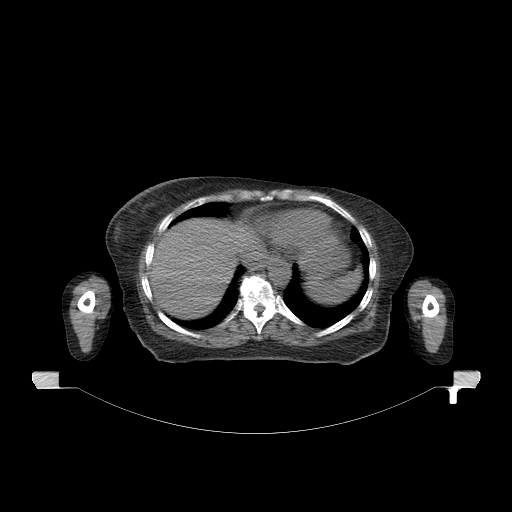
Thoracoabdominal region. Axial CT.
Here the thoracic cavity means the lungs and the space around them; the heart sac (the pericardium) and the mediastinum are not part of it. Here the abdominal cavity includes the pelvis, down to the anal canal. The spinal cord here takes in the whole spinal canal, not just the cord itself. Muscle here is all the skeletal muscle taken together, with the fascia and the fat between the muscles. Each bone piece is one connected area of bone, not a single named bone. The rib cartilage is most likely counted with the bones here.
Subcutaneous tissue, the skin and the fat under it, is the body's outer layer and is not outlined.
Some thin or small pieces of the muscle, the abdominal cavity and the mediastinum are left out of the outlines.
Outlines:
spinal cord: 258,304 259,304 260,304 261,305 262,306 263,306 264,307 264,308 263,309 263,310 262,311 261,312 260,313 259,313 258,312 257,311 256,311 255,310 255,309 254,308 255,307 255,306 256,305 257,305
bones 1: 252,274 259,274 267,280 271,284 274,292 282,297 289,309 305,324 300,325 285,316 276,313 263,325 260,339 257,338 258,335 254,324 244,317 241,311 224,325 219,325 234,307 239,297 239,285 242,277 with a hole at 258,304 259,304 260,304 261,305 262,306 263,306 264,307 264,308 263,309 263,310 262,311 261,312 260,313 259,313 258,312 257,311 256,311 255,310 255,309 254,308 255,307 255,306 256,305 257,305
bones 2: 286,188 291,189 294,193 314,194 334,201 355,219 354,224 329,206 317,201 277,198 269,201 260,201 257,198 210,201 182,212 182,209 189,202 201,196 235,194 242,190 259,191 266,194 273,190 279,191
bones 3: 89,289 92,290 94,292 94,294 95,295 95,305 93,308 93,310 92,312 90,313 85,313 81,311 78,308 77,306 77,302 79,298 82,295 82,294 86,290 88,290
bones 4: 427,294 431,294 432,295 433,295 436,298 436,299 437,300 437,302 439,305 439,311 438,312 438,313 435,316 434,316 433,317 425,317 423,315 423,314 422,313 422,303 423,302 423,300 424,299 425,296
bones 5: 159,310 164,313 169,318 170,318 178,325 188,330 190,330 193,332 195,332 196,333 200,334 201,335 201,337 199,338 193,337 192,336 181,333 178,331 176,331 172,329 160,319 157,314 157,312
bones 6: 351,312 353,312 354,313 353,317 348,323 347,323 339,329 331,333 329,333 328,334 326,334 319,337 317,337 315,335 315,333 316,332 319,331 321,329 326,328 334,324 336,322 342,319 345,316 346,316
bones 7: 359,226 362,226 363,227 364,227 368,232 368,233 370,236 370,239 371,240 371,247 370,248 367,248 365,246 365,245 360,236 360,234 359,233 359,232 358,231 358,229 357,228 357,227 358,227
bones 8: 143,275 146,275 147,276 147,278 149,282 149,285 150,286 150,289 151,290 151,293 152,294 152,297 153,298 152,299 152,301 150,301 148,299 148,298 146,296 142,288 142,285 141,284 141,277
bones 9: 170,212 172,212 174,214 174,218 171,221 171,222 168,225 168,226 165,229 165,230 164,230 163,231 163,232 162,232 161,233 159,233 158,232 158,228 159,227 159,225 160,224 162,219 168,213 169,213
bones 10: 368,287 371,287 372,288 372,294 371,295 371,297 370,298 368,303 366,305 366,306 362,310 361,310 360,311 358,309 358,308 357,307 358,306 359,303 361,301 363,296 365,294 365,292
bones 11: 150,243 153,243 154,244 154,249 153,250 153,256 151,260 151,263 149,267 147,267 146,265 146,263 145,262 145,253 146,252 146,249 147,248 147,246 148,244
bones 12: 370,257 372,257 375,260 375,275 374,276 374,277 373,278 373,279 372,280 369,280 369,258
abdominal cavity 1: 224,214 233,219 242,219 247,221 259,237 245,249 239,258 239,261 242,265 240,264 237,266 223,298 211,313 205,317 190,320 169,317 156,303 148,278 148,272 158,240 169,226 186,218 192,216 221,216
abdominal cavity 2: 344,233 350,240 351,238 358,244 362,252 363,280 357,292 344,303 335,307 321,307 311,303 302,293 299,284 299,272 296,266 294,265 294,261 291,258 304,255 317,247 327,245 331,242 340,239 344,235
pericardium: 286,203 313,203 329,207 338,215 343,227 343,235 340,238 331,241 327,244 317,246 312,250 301,255 296,255 292,257 284,257 279,255 268,247 264,242 264,240 257,233 251,224 239,215 239,212 248,206
thoracic cavity 1: 353,226 356,227 369,257 368,284 364,294 352,311 334,323 323,328 308,325 290,309 282,296 292,278 292,268 295,266 297,269 299,289 311,304 329,309 350,300 358,292 364,280 363,252 359,244 351,237
thoracic cavity 2: 240,265 243,267 244,270 237,280 239,284 238,285 238,297 233,307 220,322 211,327 204,329 188,329 178,324 171,318 184,321 190,321 199,320 211,314 218,307 224,298 226,291 234,278 236,270 238,266
thoracic cavity 3: 210,202 225,202 227,204 227,209 225,210 225,212 223,214 221,215 192,215 189,217 186,217 179,221 177,221 171,225 169,225 176,217 177,217 183,212 187,211 192,208 195,208
torso: 205,175 242,176 334,187 369,198 393,215 410,235 414,254 392,295 390,327 384,347 351,364 291,360 208,360 171,363 157,360 144,348 129,328 122,309 122,291 105,245 106,227 114,213 145,188 173,178
mediastinum 1: 260,237 267,247 274,253 284,258 290,258 293,261 293,265 291,268 291,278 283,291 282,295 279,293 276,293 272,284 259,273 244,274 241,277 239,283 238,281 245,270 243,264 240,261 240,258 246,249
mediastinum 2: 275,199 297,202 317,202 322,204 313,202 263,203 255,205 248,205 242,208 238,212 238,215 241,218 233,218 229,215 225,214 226,210 228,209 228,204 226,202 239,202 253,200 260,202 269,202 273,201
mediastinum 3: 338,214 339,214 342,217 343,217 346,220 347,220 351,224 352,224 353,225 351,227 351,229 350,230 350,239 350,238 349,237 348,237 348,236 344,232 344,227 343,226 343,224 340,219 340,217
muscle 1: 346,209 368,229 377,246 380,259 381,284 374,320 375,324 369,330 314,346 286,345 261,339 264,325 276,314 300,326 306,324 320,329 314,333 319,338 331,334 348,324 355,315 353,311 357,308 360,312 369,303 373,294 373,288 368,285 369,281 372,281 376,275 376,260 372,256 369,256 367,249 372,247 372,240 364,226 354,225 356,219
muscle 2: 160,220 157,232 161,235 155,245 153,242 147,244 144,253 144,262 146,267 149,268 148,273 140,277 141,288 145,296 150,302 153,299 159,308 156,312 159,319 172,330 199,339 202,335 191,330 204,330 218,324 219,326 224,326 241,312 243,317 253,324 257,339 232,347 208,348 167,339 151,329 145,321 138,296 136,274 141,251 152,230
muscle 3: 92,275 101,278 107,284 110,296 110,306 105,318 101,319 98,322 98,328 95,331 93,338 92,349 89,352 84,353 81,351 79,347 78,339 70,321 69,307 73,296 72,294 73,288 81,281 86,280, around a hole outlined by 89,289 92,290 94,292 94,294 95,295 95,305 93,308 93,310 92,312 90,313 85,313 81,311 78,308 77,306 77,302 79,298 82,295 82,294 86,290 88,290
muscle 4: 423,279 428,280 434,286 440,288 446,299 445,307 446,308 447,322 445,326 445,331 442,342 436,353 428,352 425,349 421,330 417,327 417,324 412,320 408,307 408,293 411,286 416,281; inner edge: 427,294 431,294 432,295 433,295 436,298 436,299 437,300 437,302 439,305 439,311 438,312 438,313 435,316 434,316 433,317 425,317 423,315 423,314 422,313 422,303 423,302 423,300 424,299 425,296
muscle 5: 292,189 307,189 308,190 311,190 312,191 317,191 321,193 324,193 330,196 337,202 336,202 334,200 330,198 325,197 319,194 315,194 314,193 298,193 297,192 294,192 294,191
muscle 6: 190,200 191,200 190,201 189,201 181,209 181,213 180,213 177,216 176,216 175,217 175,214 172,211 171,211 174,208 175,208 177,206 178,206 179,205 180,205 181,204 182,204 187,201 189,201
right arm: 86,270 96,270 107,278 111,284 113,291 114,309 111,315 109,329 107,335 98,353 90,360 81,361 75,359 70,354 67,347 65,329 61,312 61,297 63,290 69,280 78,273
left arm: 426,274 439,277 445,281 450,287 455,300 455,314 453,320 453,353 450,360 448,362 439,365 433,365 427,363 417,355 412,349 409,339 408,325 404,315 403,296 406,286 412,279 420,275 425,275